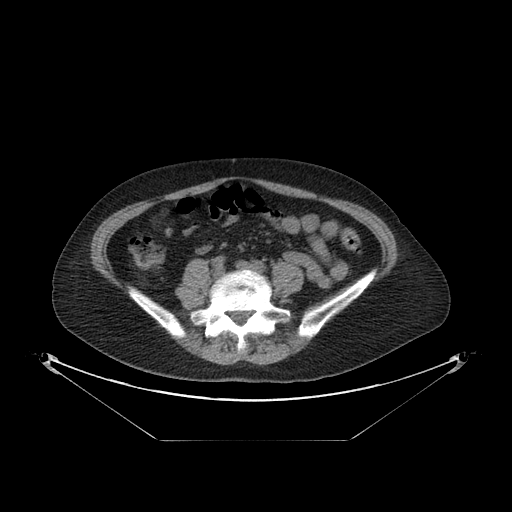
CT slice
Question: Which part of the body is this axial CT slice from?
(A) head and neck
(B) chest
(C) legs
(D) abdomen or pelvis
Answer: (D) abdomen or pelvis
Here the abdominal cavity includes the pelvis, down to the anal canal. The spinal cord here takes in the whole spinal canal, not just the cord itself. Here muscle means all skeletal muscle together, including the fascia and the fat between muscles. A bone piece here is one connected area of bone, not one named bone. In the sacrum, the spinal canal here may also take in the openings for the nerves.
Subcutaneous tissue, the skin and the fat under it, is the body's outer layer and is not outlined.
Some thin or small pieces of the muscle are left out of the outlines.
Outlined structures:
abdominal cavity: 229 180; 247 180; 348 214; 375 236; 379 263; 334 293; 295 309; 273 300; 302 288; 298 265; 274 263; 269 281; 255 270; 236 269; 210 287; 209 262; 196 257; 174 289; 182 307; 168 309; 117 275; 107 253; 109 241; 149 208
spinal cord: 234 311; 248 311; 249 312; 251 312; 251 313; 250 314; 250 315; 246 319; 246 320; 245 321; 245 322; 244 323; 243 323; 242 324; 238 324; 237 323; 236 323; 231 318; 231 317; 229 315; 229 313; 230 313; 231 312; 233 312
torso: 239 156; 282 157; 323 165; 358 180; 374 191; 392 208; 443 271; 451 295; 446 320; 432 331; 363 366; 317 380; 289 383; 207 382; 161 376; 121 363; 69 332; 54 313; 51 280; 66 241; 94 203; 124 180; 155 167; 194 159
bones 1: 241 269; 263 275; 271 287; 270 301; 288 309; 290 317; 287 321; 276 323; 274 331; 268 335; 246 334; 245 347; 240 353; 235 334; 223 331; 214 337; 206 337; 205 326; 195 325; 190 314; 210 304; 210 288; 217 279 with a hole at 234 311; 248 311; 249 312; 251 312; 251 313; 250 314; 250 315; 246 319; 246 320; 245 321; 245 322; 244 323; 243 323; 242 324; 238 324; 237 323; 236 323; 231 318; 231 317; 229 315; 229 313; 230 313; 231 312; 233 312
bones 2: 374 267; 377 268; 377 271; 374 278; 358 297; 351 301; 343 309; 331 316; 312 338; 310 339; 305 336; 298 335; 297 333; 298 326; 301 321; 301 318; 303 314; 306 311; 311 310; 325 303; 333 297; 340 294; 364 274
bones 3: 128 284; 129 285; 134 286; 144 294; 150 297; 154 301; 157 302; 160 305; 169 310; 180 322; 186 333; 185 336; 184 337; 175 337; 174 336; 172 336; 163 327; 162 327; 155 319; 154 319; 149 314; 143 310; 130 297; 126 286
muscle 1: 196 258; 208 262; 207 265; 211 279; 209 285; 209 304; 203 308; 192 310; 189 314; 189 318; 195 326; 204 326; 203 333; 206 338; 214 338; 223 332; 229 332; 235 335; 237 338; 235 347; 240 354; 244 352; 246 347; 246 335; 252 333; 268 336; 275 331; 276 324; 287 322; 290 319; 291 311; 285 308; 303 310; 311 304; 334 294; 355 281; 340 293; 306 310; 302 314; 297 326; 297 335; 310 340; 319 332; 302 350; 270 364; 258 365; 240 360; 233 364; 222 365; 205 360; 186 351; 143 311; 172 337; 184 338; 187 333; 181 322; 170 310; 180 310; 183 307; 175 294; 175 289; 182 281; 182 276; 187 264
muscle 2: 234 175; 282 183; 331 198; 350 201; 366 208; 378 216; 392 232; 398 252; 395 266; 385 279; 320 331; 331 317; 358 298; 375 278; 378 271; 376 266; 382 258; 379 241; 364 224; 328 203; 279 193; 247 179; 229 179; 207 191; 157 203; 129 219; 113 233; 107 244; 107 257; 116 275; 131 284; 128 283; 125 286; 135 304; 93 268; 90 249; 97 227; 108 216; 127 205; 216 178
muscle 3: 278 262; 285 262; 289 264; 293 264; 296 266; 298 266; 301 269; 303 273; 303 283; 301 288; 298 291; 290 294; 285 299; 282 299; 276 295; 272 300; 274 302; 274 304; 271 301; 272 287; 269 282; 271 279; 272 266